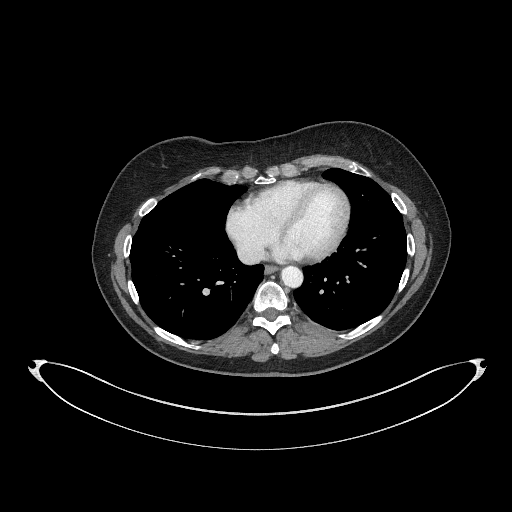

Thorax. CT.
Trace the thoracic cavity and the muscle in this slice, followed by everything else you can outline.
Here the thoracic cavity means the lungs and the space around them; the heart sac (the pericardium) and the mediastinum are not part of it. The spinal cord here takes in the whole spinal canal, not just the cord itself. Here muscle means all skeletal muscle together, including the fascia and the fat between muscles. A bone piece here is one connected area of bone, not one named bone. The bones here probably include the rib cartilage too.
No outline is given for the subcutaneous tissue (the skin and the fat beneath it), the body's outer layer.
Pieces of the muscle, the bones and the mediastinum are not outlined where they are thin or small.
Outlines:
thoracic cavity 1: 185,339 210,339 226,331 250,303 257,285 262,280 262,265 247,266 241,263 225,231 227,212 246,190 244,186 227,185 205,178 190,183 159,202 142,218 133,236 129,257 131,278 138,291 142,308 156,324
thoracic cavity 2: 336,330 355,327 386,307 397,288 407,255 402,216 389,195 370,178 339,168 329,168 323,172 323,177 339,185 350,200 349,229 335,252 320,263 306,266 303,269 303,283 294,291 293,297 297,305 310,318
muscle 1: 255,361 266,361 274,355 292,359 334,352 383,326 417,291 428,271 431,235 413,201 398,187 368,169 374,181 388,193 398,193 407,205 408,213 402,215 404,227 413,234 416,244 414,255 406,260 410,276 404,289 395,293 382,312 381,321 351,340 337,335 353,328 329,329 291,304 288,312 292,322 273,336 251,324 253,312 249,305 218,337 187,339 200,344 199,350 169,342 153,331 154,322 132,302 126,287 130,263 122,255 122,242 127,233 133,235 137,229 139,206 120,228 114,240 110,277 122,308 135,323 157,341 180,350 225,357 248,355 with a hole at 273,354 276,354 279,351 279,348 278,347 278,346 277,345 277,344 275,342 274,342 272,344 272,345 271,346 271,347 270,348 270,350 271,351 271,352
muscle 2: 301,173 308,171 312,168 321,168 322,167 327,167 327,166 325,166 324,165 318,165 312,168 307,168 302,164 302,162 306,159 308,159 309,158 319,157 320,156 330,156 336,159 342,159 345,161 350,161 351,160 353,160 351,160 338,155 327,155 326,154 312,154 307,156 302,156 301,157 296,158 291,161 291,162 295,163 300,168 301,170
muscle 3: 159,201 160,201 168,194 178,189 180,187 189,183 189,179 190,177 193,174 188,175 182,178 177,183 175,184 173,184 167,187 165,189 164,189 164,190 161,193 157,195 155,195 153,196 155,196 159,200
muscle 4: 258,174 259,173 263,173 263,171 267,167 269,166 271,166 275,164 279,167 280,167 284,163 282,164 280,164 279,165 277,165 276,164 274,164 273,165 269,165 265,167 263,170 259,170 259,172
pericardium: 280,264 317,263 336,250 348,229 350,218 350,204 346,194 335,183 319,176 282,179 276,181 273,184 253,186 247,189 232,205 228,212 226,220 226,231 230,240 236,247 241,260 245,263 267,261 276,262
spinal cord: 271,321 272,320 273,320 274,319 275,319 275,318 280,313 280,312 279,311 278,311 277,310 276,310 274,308 267,308 264,311 263,311 260,314 261,315 262,315 265,318 266,318 268,320 270,320
torso: 240,376 309,375 351,363 401,336 427,305 449,255 450,221 426,170 390,133 367,123 338,120 257,140 215,142 196,136 180,136 145,148 115,178 97,217 91,244 95,279 113,315 132,338 163,359 197,370
bones 1: 272,335 281,326 285,324 289,324 291,322 290,321 290,316 287,312 289,303 291,302 290,298 287,295 287,292 278,283 272,280 267,280 261,282 258,285 250,304 254,312 254,315 252,319 252,324 265,328 with a hole at 271,321 272,320 273,320 274,319 275,319 275,318 280,313 280,312 279,311 278,311 277,310 276,310 274,308 267,308 264,311 263,311 260,314 261,315 262,315 265,318 266,318 268,320 270,320
bones 2: 227,184 237,183 241,177 251,178 256,184 273,183 280,175 296,176 300,170 290,162 280,168 275,165 269,167 258,175 257,169 249,167 222,173 217,168 211,168 194,174 190,182 207,174 219,174 220,181
bones 3: 368,177 370,177 371,175 370,172 366,168 360,166 355,161 345,162 342,160 336,160 330,157 320,157 319,158 309,159 303,162 303,164 307,167 312,167 318,164 324,164 330,167 339,167 348,170 350,172
bones 4: 344,339 351,339 362,333 364,333 366,331 367,331 369,329 373,327 377,323 378,323 383,317 383,314 381,313 377,315 375,317 362,323 360,325 357,326 355,328 350,330 346,333 340,333 338,335 338,336
bones 5: 194,349 199,349 201,347 200,345 195,345 192,343 187,342 181,337 175,334 173,334 157,325 154,325 153,326 153,329 154,331 158,335 161,336 163,338 174,343 177,343 178,344 183,345 186,347 190,347
bones 6: 140,217 142,217 144,215 145,215 147,213 148,213 158,203 158,200 155,197 150,197 149,198 148,198 140,206 140,207 139,208 139,209 138,210 138,211 137,212 137,213 138,214 138,215
bones 7: 402,214 406,214 407,213 407,208 406,207 406,205 403,201 403,200 398,195 398,194 397,194 395,192 392,191 389,194 390,195 390,197 391,198 393,203 397,208 397,209 400,212 400,213 401,213
bones 8: 135,304 139,304 139,297 138,296 138,294 137,293 137,291 135,288 135,286 134,285 133,282 131,280 131,279 128,279 127,280 127,287 128,288 128,291 129,292 129,294 130,295 130,296 131,297 133,302
bones 9: 410,256 412,256 413,255 413,254 414,253 414,252 415,251 415,244 414,243 414,238 413,237 413,236 412,235 412,234 410,232 408,232 407,233 407,234 406,235 406,248 407,249 407,254 408,255 409,255
bones 10: 397,292 400,292 403,289 403,288 405,286 407,282 407,280 409,276 409,273 410,272 410,269 408,267 405,267 405,268 402,272 402,274 401,275 401,277 399,281 398,288 396,291
bones 11: 124,257 128,257 129,256 129,252 130,251 130,248 131,247 131,242 132,241 132,235 131,235 130,234 127,234 125,236 125,238 124,239 124,241 123,242 123,255 124,256
mediastinum 1: 290,304 296,304 292,297 292,293 302,283 302,269 306,265 310,265 280,265 276,263 267,262 245,264 262,264 264,267 262,281 272,279 278,282 288,292 288,295 291,298 292,302
mediastinum 2: 277,180 282,178 291,178 292,177 304,177 310,175 319,175 322,177 322,172 329,167 327,168 322,168 321,169 312,169 308,172 301,174 299,176 296,177 291,177 290,178 287,178 286,177 278,177